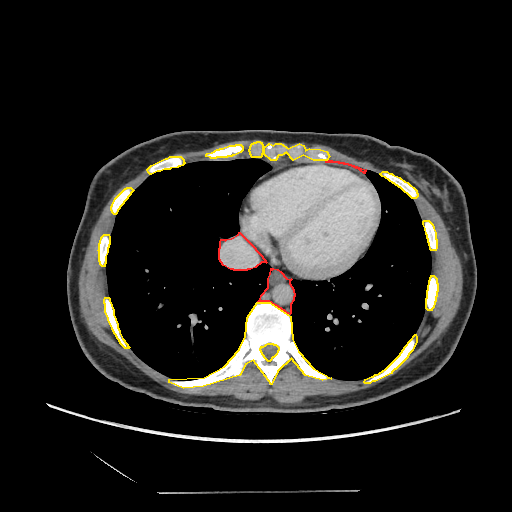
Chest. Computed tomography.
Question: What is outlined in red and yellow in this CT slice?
Answer: red: mediastinum; yellow: bones.
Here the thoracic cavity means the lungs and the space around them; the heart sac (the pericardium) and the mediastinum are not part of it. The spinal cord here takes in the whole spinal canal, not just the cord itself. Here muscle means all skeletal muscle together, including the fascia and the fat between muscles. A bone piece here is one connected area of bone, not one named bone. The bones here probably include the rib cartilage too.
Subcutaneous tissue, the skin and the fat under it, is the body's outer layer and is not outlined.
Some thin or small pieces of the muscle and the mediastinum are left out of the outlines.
The mediastinum appears in 3 outlined pieces: piece 1: 239,232 255,248 255,249 261,255 266,262 261,262 255,267 250,269 247,269 246,270 234,270 233,269 230,269 223,265 219,259 219,248 220,247 220,241 221,239 224,239 225,240 226,239 231,238 238,234; piece 2: 271,268 272,269 273,268 277,269 280,271 286,278 291,279 289,281 289,283 293,289 294,296 293,297 293,300 290,304 290,313 289,314 281,308 269,301 258,301 260,299 261,295 268,287 268,278 270,274; piece 3: 325,161 337,161 338,162 343,162 344,163 347,163 348,164 350,164 351,165 353,165 354,166 356,166 357,167 359,167 366,170 364,171 364,173 360,170 346,164 343,164 339,162 333,162 332,161. The bones appear in 12 outlined pieces: piece 1: 257,302 269,302 290,316 292,339 298,351 313,368 331,378 322,380 305,375 291,358 277,371 271,384 253,360 245,364 239,375 203,386 183,388 169,382 169,379 204,377 224,366 239,349 245,336 247,317, around a hole outlined by 268,343 272,343 273,344 275,344 278,347 278,350 277,351 276,354 273,357 272,357 271,358 271,359 269,361 268,361 264,357 264,356 262,354 262,353 260,350 260,348 261,347 261,346 263,346; piece 2: 269,143 273,145 276,143 280,143 288,148 299,143 303,145 305,150 309,148 320,149 326,151 329,156 326,160 313,160 303,155 293,160 286,152 281,155 278,155 275,160 271,160 264,154 264,147; piece 3: 415,334 416,336 416,341 412,350 409,353 406,358 395,369 394,369 391,372 391,373 375,381 372,381 369,383 365,383 364,382 365,379 371,376 373,376 375,374 377,374 385,369 399,355 405,346; piece 4: 170,156 180,156 183,159 183,161 184,162 184,163 182,165 180,166 178,166 177,167 170,168 169,169 164,169 160,171 157,171 151,174 150,174 148,172 147,169 151,165 165,158 167,158; piece 5: 105,297 108,297 109,298 109,300 113,310 113,314 117,324 117,327 119,330 119,332 122,338 129,347 128,348 125,348 121,344 112,329 112,327 108,320 108,318 105,311 105,304 104,303 104,299; piece 6: 383,171 386,171 389,173 391,173 392,174 399,177 404,181 407,182 416,190 416,192 417,193 417,196 415,198 412,198 400,187 399,187 397,185 396,185 394,183 393,183 385,177 382,176 380,174 380,173; piece 7: 236,144 240,144 242,146 242,150 240,152 234,155 232,155 231,156 227,156 226,157 216,157 215,158 211,158 210,157 206,156 206,154 207,153 212,152 217,149 219,149 220,148 222,148 229,145 235,145; piece 8: 431,275 433,275 436,278 436,282 437,283 437,291 436,292 436,296 435,297 435,301 434,302 433,307 431,309 431,310 428,310 426,308 426,298 427,297 427,290 428,289 429,280 430,279 430,277 431,276; piece 9: 424,220 428,220 432,224 433,226 433,228 435,232 435,238 436,239 436,248 435,250 431,250 430,249 429,243 428,242 428,239 427,238 427,235 426,234 425,228 423,224 423,221; piece 10: 104,234 108,234 109,236 109,244 108,245 108,247 107,248 107,252 105,256 105,263 104,264 104,266 102,266 100,264 100,262 99,261 99,251 98,250 99,249 99,243 100,242 101,237; piece 11: 127,187 130,187 133,190 130,193 130,194 127,197 127,198 123,202 123,203 119,207 119,208 117,210 116,213 115,214 114,214 112,212 112,211 111,210 111,206 112,205 115,198 125,188 126,188; piece 12: 257,141 259,141 260,142 261,142 261,143 262,144 262,153 261,154 261,156 260,157 252,157 250,154 250,152 249,151 249,149 250,148 250,146 251,145 251,144 252,143 253,143 254,142 256,142. The muscle appears in 2 outlined pieces: piece 1: 146,169 149,175 135,189 127,186 114,198 110,206 115,215 111,233 104,233 98,243 98,261 105,267 108,289 108,296 103,299 104,311 120,344 170,378 168,382 175,387 203,387 237,377 250,361 263,372 269,385 291,359 303,375 322,381 364,379 369,384 382,379 391,374 407,358 413,350 425,309 432,310 438,291 437,278 431,274 430,251 437,248 436,232 433,224 428,219 422,221 419,215 413,200 418,196 417,191 442,218 461,261 463,283 457,312 409,364 387,379 361,390 306,396 297,404 281,404 270,396 248,400 168,389 98,341 80,315 78,278 92,228 116,190; piece 2: 253,139 303,142 325,145 358,160 368,161 376,167 384,170 378,174 347,162 327,160 330,155 326,150 313,147 305,149 304,145 302,143 299,142 297,142 289,147 280,142 273,144 269,142 263,147 263,154 270,160 263,159 260,158 263,153 263,144 259,140 252,142 249,146 248,151 251,157 234,158 229,160 199,160 185,163 180,155 172,155 176,153 203,150 233,141 with a hole at 236,144 240,144 242,146 242,150 240,152 234,155 232,155 231,156 227,156 226,157 216,157 215,158 211,158 210,157 206,156 206,154 207,153 212,152 217,149 219,149 220,148 222,148 229,145 235,145. The spinal cord is outlined by 268,343 272,343 273,344 275,344 278,347 278,350 277,351 276,354 273,357 272,357 271,358 271,359 269,361 268,361 264,357 264,356 262,354 262,353 260,350 260,348 261,347 261,346 263,346. The torso is outlined by 241,129 370,135 391,145 430,156 457,180 468,208 477,287 470,315 455,350 433,377 396,395 353,408 322,412 251,413 164,402 121,386 91,364 72,326 66,272 94,175 104,164 130,147 163,134 186,130. The thoracic cavity appears in 2 outlined pieces: piece 1: 243,158 260,159 270,169 254,182 242,200 239,231 220,239 218,259 234,271 266,263 270,267 267,287 248,312 240,345 224,365 197,378 171,378 142,360 118,327 105,266 116,214 131,193 154,173 187,163; piece 2: 367,170 385,178 412,199 429,247 430,276 422,318 415,333 398,355 381,371 366,378 340,379 313,367 299,351 292,332 290,314 295,292 290,281 308,279 329,282 364,256 381,219 381,201 376,188 365,173. The pericardium is outlined by 317,161 339,163 352,167 365,174 378,194 380,201 380,219 375,234 367,250 345,271 329,279 288,278 277,268 272,268 256,248 240,232 240,209 243,200 255,182 267,172 278,167 286,166 293,163.